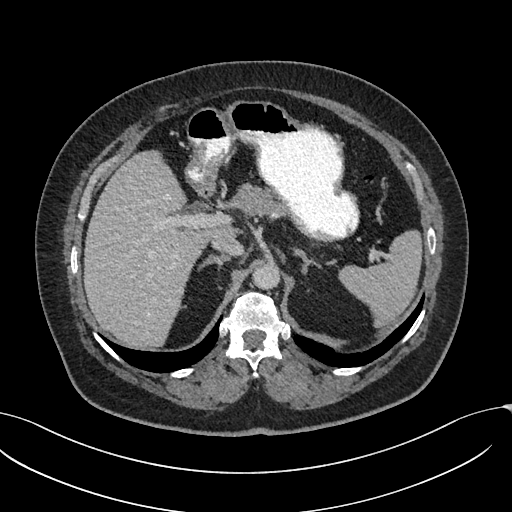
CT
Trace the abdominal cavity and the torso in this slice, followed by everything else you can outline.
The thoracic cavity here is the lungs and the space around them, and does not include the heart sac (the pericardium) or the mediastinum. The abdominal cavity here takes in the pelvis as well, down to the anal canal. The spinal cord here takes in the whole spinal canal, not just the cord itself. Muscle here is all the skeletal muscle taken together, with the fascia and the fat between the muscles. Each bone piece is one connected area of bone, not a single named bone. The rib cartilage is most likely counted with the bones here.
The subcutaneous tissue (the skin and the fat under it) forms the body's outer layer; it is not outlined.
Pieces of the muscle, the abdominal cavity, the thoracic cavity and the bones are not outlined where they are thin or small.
Outlines:
abdominal cavity: (250, 90) (288, 94) (328, 109) (389, 151) (421, 211) (424, 292) (382, 341) (364, 351) (337, 353) (292, 331) (282, 314) (287, 278) (269, 263) (259, 262) (195, 345) (179, 351) (143, 351) (114, 343) (97, 331) (81, 286) (82, 233) (94, 194) (156, 123) (204, 101)
torso: (265, 59) (315, 63) (359, 76) (403, 102) (439, 143) (459, 184) (469, 231) (465, 296) (449, 348) (429, 383) (410, 399) (366, 417) (310, 431) (201, 435) (153, 427) (105, 412) (86, 401) (70, 381) (39, 298) (34, 233) (51, 166) (72, 132) (121, 92) (193, 66)
muscle: (255, 84) (269, 85) (299, 90) (329, 98) (345, 104) (364, 115) (381, 129) (387, 131) (397, 138) (415, 155) (431, 180) (432, 186) (442, 207) (442, 213) (444, 220) (444, 234) (443, 235) (444, 249) (442, 253) (442, 270) (437, 283) (436, 302) (433, 308) (432, 317) (428, 326) (428, 331) (425, 339) (415, 349) (412, 350) (397, 363) (386, 374) (375, 381) (371, 382) (359, 391) (357, 391) (339, 401) (312, 409) (296, 410) (288, 408) (283, 403) (279, 403) (273, 400) (261, 389) (250, 388) (237, 401) (231, 403) (222, 410) (205, 410) (204, 409) (196, 409) (185, 407) (123, 380) (102, 365) (99, 361) (84, 348) (80, 340) (79, 333) (74, 321) (74, 315) (70, 303) (70, 294) (68, 290) (66, 278) (66, 267) (62, 261) (64, 257) (62, 252) (63, 249) (62, 229) (67, 213) (67, 207) (70, 200) (70, 195) (74, 187) (78, 183) (78, 180) (82, 170) (85, 169) (88, 166) (88, 164) (125, 128) (143, 117) (153, 108) (166, 104) (175, 103) (185, 99) (191, 99) (196, 96) (202, 97) (208, 94) (215, 93) (219, 90) (224, 90) (237, 86) (254, 85); inner edge: (250, 90) (288, 94) (332, 111) (381, 143) (414, 193) (403, 162) (413, 164) (421, 180) (423, 228) (431, 226) (436, 236) (434, 254) (426, 248) (425, 314) (404, 343) (353, 374) (333, 374) (334, 366) (280, 336) (281, 358) (263, 357) (255, 378) (245, 358) (225, 355) (227, 334) (189, 375) (171, 377) (119, 362) (92, 334) (80, 268) (73, 274) (70, 267) (71, 247) (80, 254) (85, 222) (77, 212) (90, 175) (118, 155) (91, 202) (156, 123)
spinal cord: (248, 330) (260, 330) (261, 331) (263, 331) (265, 333) (265, 336) (261, 342) (261, 347) (257, 347) (254, 349) (251, 349) (250, 348) (248, 348) (247, 347) (245, 347) (245, 341) (243, 338) (243, 334) (246, 331) (247, 331)
thoracic cavity 1: (222, 316) (222, 318) (218, 324) (217, 339) (213, 347) (201, 359) (190, 366) (175, 369) (169, 372) (150, 371) (129, 363) (122, 358) (100, 335) (101, 334) (102, 336) (114, 344) (130, 350) (137, 350) (143, 352) (179, 352) (187, 350) (199, 343) (212, 329) (218, 319)
thoracic cavity 2: (424, 293) (423, 305) (414, 321) (402, 337) (384, 353) (363, 365) (340, 367) (328, 365) (303, 351) (295, 343) (292, 337) (293, 333) (292, 332) (294, 334) (304, 336) (329, 347) (337, 354) (354, 354) (364, 352) (382, 342) (402, 324) (412, 313) (418, 304) (422, 294)
bones 1: (247, 291) (257, 291) (273, 298) (280, 317) (290, 326) (292, 333) (291, 338) (287, 340) (280, 336) (278, 338) (280, 359) (267, 356) (258, 362) (257, 378) (252, 376) (252, 369) (245, 358) (230, 358) (225, 355) (229, 336) (227, 334) (218, 338) (221, 320) (234, 300), around a hole outlined by (248, 330) (260, 330) (261, 331) (263, 331) (265, 333) (265, 336) (261, 342) (261, 347) (257, 347) (254, 349) (251, 349) (250, 348) (248, 348) (247, 347) (245, 347) (245, 341) (243, 338) (243, 334) (246, 331) (247, 331)
bones 2: (114, 155) (118, 155) (118, 158) (117, 160) (102, 174) (101, 177) (94, 186) (91, 192) (89, 206) (87, 210) (87, 215) (84, 221) (80, 221) (77, 217) (77, 212) (80, 207) (80, 201) (83, 195) (84, 189) (88, 182) (88, 179) (90, 175) (101, 162)
bones 3: (405, 160) (407, 160) (412, 164) (413, 164) (421, 180) (421, 183) (422, 184) (423, 190) (424, 191) (424, 197) (423, 199) (421, 200) (418, 200) (418, 199) (416, 197) (416, 194) (415, 193) (415, 187) (414, 186) (412, 178) (405, 168) (404, 164) (403, 163) (403, 162)
bones 4: (423, 306) (425, 307) (425, 309) (426, 310) (425, 311) (425, 314) (423, 317) (423, 319) (420, 323) (418, 328) (415, 331) (415, 332) (404, 343) (400, 343) (399, 341) (403, 337) (403, 336) (407, 332) (407, 331) (413, 324) (416, 318) (418, 316) (419, 313) (421, 311)
bones 5: (93, 330) (96, 330) (96, 331) (99, 334) (99, 335) (103, 339) (103, 340) (122, 359) (123, 359) (123, 362) (119, 362) (117, 360) (116, 360) (112, 356) (111, 356) (99, 344) (99, 343) (95, 339) (95, 338) (93, 336) (93, 335) (92, 334) (92, 331)
bones 6: (429, 226) (431, 226) (433, 228) (435, 232) (435, 235) (436, 236) (436, 245) (435, 246) (435, 252) (434, 254) (432, 255) (430, 254) (428, 251) (428, 248) (427, 247) (427, 240) (426, 239) (426, 232)
bones 7: (364, 365) (365, 365) (364, 366) (364, 367) (361, 370) (360, 370) (353, 374) (351, 374) (350, 375) (346, 375) (345, 376) (343, 376) (342, 375) (335, 375) (332, 373) (332, 370) (336, 367) (337, 367) (338, 368) (340, 368) (341, 367) (352, 367) (353, 366) (363, 366)
bones 8: (73, 245) (75, 245) (76, 246) (76, 247) (77, 248) (77, 251) (78, 252) (78, 269) (77, 270) (77, 272) (75, 274) (73, 274) (72, 273) (72, 272) (71, 271) (71, 268) (70, 267) (70, 254) (71, 253) (71, 247)
bones 9: (191, 366) (192, 366) (194, 368) (194, 370) (189, 375) (188, 375) (187, 376) (185, 376) (184, 377) (171, 377) (169, 375) (169, 373) (170, 372) (171, 372) (172, 371) (174, 371) (175, 370) (178, 370) (179, 369) (182, 369) (183, 368) (187, 368) (188, 367) (190, 367)
mediastinum: (259, 263) (269, 264) (278, 270) (286, 278) (287, 284) (281, 305) (281, 314) (283, 319) (281, 317) (279, 308) (274, 298) (267, 293) (262, 293) (257, 290) (247, 290) (238, 295) (231, 303) (227, 313) (223, 315) (222, 310) (232, 297) (239, 283) (247, 275) (249, 271)